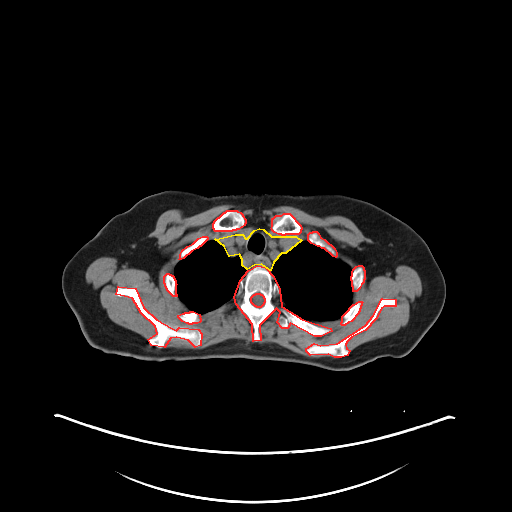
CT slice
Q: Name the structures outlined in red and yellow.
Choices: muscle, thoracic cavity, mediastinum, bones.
A: red: bones; yellow: mediastinum.
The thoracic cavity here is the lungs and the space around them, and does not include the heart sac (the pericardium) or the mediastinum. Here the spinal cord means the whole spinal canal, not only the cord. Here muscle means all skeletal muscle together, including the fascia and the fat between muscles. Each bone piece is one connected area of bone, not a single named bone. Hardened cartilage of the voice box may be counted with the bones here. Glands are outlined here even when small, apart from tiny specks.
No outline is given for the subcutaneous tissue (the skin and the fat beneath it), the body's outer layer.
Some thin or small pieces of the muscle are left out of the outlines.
Outlines (x, y in pixels):
bones 1: [[257,265],[265,267],[273,276],[279,289],[281,306],[302,319],[330,328],[331,331],[321,336],[314,336],[290,323],[287,328],[282,328],[277,322],[280,312],[276,308],[259,325],[260,340],[253,341],[252,324],[236,304],[234,297],[240,280],[248,270]]; inner edge: [[256,293],[259,293],[260,294],[261,294],[263,296],[263,297],[264,298],[264,302],[263,303],[263,304],[260,307],[257,307],[256,306],[255,306],[251,302],[251,297],[254,294],[255,294]]
bones 2: [[118,286],[135,288],[143,307],[156,319],[172,328],[176,330],[179,327],[198,329],[201,333],[200,345],[195,347],[188,340],[176,337],[170,338],[164,347],[151,345],[148,339],[157,333],[155,326],[141,313],[132,298],[116,294]]
bones 3: [[382,298],[395,299],[395,306],[384,306],[381,308],[375,319],[365,330],[351,337],[347,341],[345,344],[346,348],[349,350],[347,355],[341,357],[334,357],[328,354],[310,355],[306,351],[306,348],[314,343],[320,345],[337,343],[365,325],[373,315]]
bones 4: [[227,210],[236,210],[237,211],[240,212],[242,214],[242,215],[245,219],[245,223],[244,224],[244,225],[238,229],[236,229],[235,230],[232,230],[231,231],[215,231],[213,228],[213,223],[214,222],[214,221],[218,217],[219,217],[224,212],[225,212]]
bones 5: [[284,213],[289,213],[300,225],[301,227],[301,229],[300,230],[300,232],[298,234],[285,234],[284,235],[282,235],[281,234],[278,234],[274,232],[272,230],[271,228],[272,226],[272,218],[273,218],[276,215],[281,215]]
bones 6: [[313,231],[316,231],[318,233],[320,237],[324,239],[334,248],[336,252],[336,256],[335,257],[333,256],[324,248],[322,248],[319,246],[317,246],[311,243],[308,240],[308,234],[310,232],[312,232]]
bones 7: [[358,265],[361,265],[363,267],[363,269],[364,270],[364,279],[363,280],[363,282],[361,284],[359,288],[356,291],[353,291],[353,287],[352,286],[352,281],[351,280],[351,276],[352,275],[352,271],[353,269],[356,266]]
bones 8: [[359,301],[361,301],[362,302],[361,303],[361,305],[360,306],[360,308],[359,309],[359,311],[358,312],[358,313],[351,321],[348,322],[344,325],[342,325],[341,324],[341,322],[342,321],[342,316],[349,309],[349,308],[353,304],[354,304]]
bones 9: [[202,236],[206,236],[207,237],[207,239],[200,246],[199,246],[197,248],[191,251],[183,258],[181,259],[179,259],[180,257],[180,254],[182,250],[187,246],[193,243],[198,238]]
bones 10: [[190,311],[193,311],[199,314],[200,316],[199,317],[200,318],[200,321],[199,322],[197,323],[192,323],[191,324],[189,324],[188,323],[186,323],[182,321],[178,317],[178,315],[182,313],[184,313],[185,312],[189,312]]
bones 11: [[167,273],[168,273],[169,274],[170,274],[171,275],[172,275],[173,276],[173,277],[175,280],[175,283],[176,284],[175,285],[175,293],[176,294],[176,296],[173,296],[167,290],[167,289],[165,286],[165,284],[164,283],[164,276]]
mediastinum: [[259,228],[263,229],[271,236],[295,236],[301,240],[285,253],[281,253],[273,262],[270,270],[261,264],[254,265],[247,269],[242,265],[242,259],[239,254],[229,256],[224,246],[215,239],[235,234],[242,234],[245,238],[247,238],[254,230]]
thyroid glands: [[249,230],[250,230],[251,230],[252,230],[252,231],[251,232],[251,233],[250,234],[249,235],[248,236],[247,237],[246,237],[245,237],[244,236],[243,235],[243,234],[243,233],[244,232],[245,232],[246,231],[247,231],[248,231]]
muscle 1: [[222,204],[258,211],[288,205],[319,217],[347,217],[373,242],[363,242],[355,251],[361,264],[352,269],[336,257],[335,248],[316,230],[307,239],[285,235],[298,235],[302,227],[284,212],[271,218],[270,227],[282,236],[261,227],[210,239],[202,235],[181,250],[173,274],[163,276],[166,290],[189,309],[177,315],[182,322],[197,324],[200,314],[235,298],[251,324],[254,342],[231,338],[204,348],[177,348],[165,347],[176,338],[186,340],[198,348],[202,343],[201,331],[176,329],[159,320],[133,286],[118,285],[114,292],[132,299],[156,333],[147,340],[113,322],[98,292],[85,280],[89,264],[102,256],[114,257],[155,280],[165,258],[157,240],[148,235],[158,217],[169,209],[179,209],[186,217]], around a hole outlined by [[227,210],[236,210],[237,211],[240,212],[242,214],[242,215],[245,219],[245,223],[244,224],[244,225],[238,229],[236,229],[235,230],[232,230],[231,231],[215,231],[213,228],[213,223],[214,222],[214,221],[218,217],[219,217],[224,212],[225,212]]
muscle 2: [[399,265],[417,272],[422,292],[410,307],[407,324],[396,332],[350,352],[346,346],[373,323],[381,309],[396,306],[395,298],[382,297],[367,322],[341,340],[314,342],[305,348],[310,356],[331,356],[306,356],[276,343],[259,343],[259,327],[276,309],[276,322],[282,329],[290,324],[314,337],[332,331],[317,323],[341,318],[340,324],[346,325],[360,311],[363,302],[352,303],[352,298],[364,282],[365,272],[370,279]]
thoracic cavity 1: [[302,240],[307,240],[311,244],[324,249],[333,257],[347,264],[352,270],[350,276],[353,292],[351,298],[352,304],[341,317],[337,319],[313,323],[302,318],[287,308],[281,299],[279,286],[274,280],[275,278],[271,272],[272,266],[281,254],[285,254]]
thoracic cavity 2: [[211,239],[214,239],[218,243],[220,243],[229,257],[239,255],[241,259],[241,265],[247,271],[245,275],[239,280],[237,290],[231,299],[214,309],[204,313],[199,313],[190,310],[177,295],[177,284],[173,275],[174,269],[180,260],[200,247],[207,240]]
torso: [[165,190],[189,190],[207,196],[342,194],[370,202],[407,223],[425,240],[445,280],[446,295],[442,310],[406,355],[380,357],[349,370],[336,371],[302,363],[241,357],[149,361],[105,353],[85,339],[62,291],[63,269],[113,216],[129,209],[140,199]]
spinal cord: [[256,293],[259,293],[260,294],[261,294],[263,296],[263,297],[264,298],[264,302],[263,303],[263,304],[260,307],[257,307],[256,306],[255,306],[251,302],[251,297],[254,294],[255,294]]